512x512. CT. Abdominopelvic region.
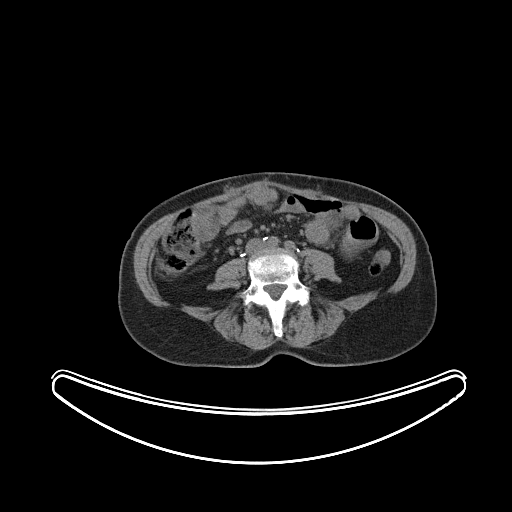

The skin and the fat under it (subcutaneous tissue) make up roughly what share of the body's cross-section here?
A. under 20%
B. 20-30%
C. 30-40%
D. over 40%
C. 30-40%
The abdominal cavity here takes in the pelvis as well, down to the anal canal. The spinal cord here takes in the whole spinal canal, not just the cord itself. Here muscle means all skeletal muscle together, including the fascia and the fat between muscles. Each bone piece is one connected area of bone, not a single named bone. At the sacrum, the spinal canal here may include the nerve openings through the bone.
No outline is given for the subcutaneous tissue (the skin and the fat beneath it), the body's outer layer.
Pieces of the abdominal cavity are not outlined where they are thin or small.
{"muscle":[{"outer":[[264,178],[266,178],[271,181],[293,186],[297,188],[311,188],[312,189],[317,189],[325,194],[334,196],[338,198],[341,198],[342,199],[346,199],[347,200],[371,204],[380,208],[382,208],[387,211],[389,211],[396,215],[407,225],[410,229],[415,240],[415,244],[416,245],[416,264],[415,265],[414,273],[411,278],[411,280],[404,288],[400,290],[397,293],[389,294],[384,296],[380,296],[352,313],[351,315],[350,315],[349,317],[341,324],[335,333],[331,336],[329,340],[322,345],[316,346],[315,347],[293,347],[282,341],[277,341],[269,347],[260,350],[253,350],[247,347],[241,347],[225,340],[219,333],[215,331],[212,327],[210,327],[205,322],[195,317],[193,317],[185,312],[176,310],[175,309],[172,309],[171,308],[161,308],[150,303],[145,298],[136,282],[136,279],[134,275],[134,269],[133,268],[133,255],[134,254],[135,246],[138,239],[145,229],[153,222],[166,214],[174,212],[181,208],[183,208],[185,206],[190,205],[195,202],[216,195],[226,193],[244,184],[257,180],[261,180]],"hole":[[256,186],[371,216],[398,248],[397,276],[384,289],[338,297],[315,282],[342,281],[334,258],[305,248],[309,301],[287,304],[279,338],[267,309],[243,302],[244,258],[220,265],[206,286],[234,289],[229,297],[213,305],[164,299],[151,262],[178,214]]}],"abdominal_cavity":[[[256,186],[338,200],[371,216],[398,248],[397,276],[384,289],[338,297],[315,282],[342,281],[329,253],[303,250],[303,282],[297,257],[272,247],[250,257],[246,266],[241,257],[220,265],[206,288],[235,291],[213,305],[164,299],[151,262],[178,214]]],"spinal_cord":[[[269,285],[284,285],[285,286],[284,287],[284,289],[282,291],[282,292],[281,293],[281,294],[279,296],[279,297],[277,299],[273,299],[271,297],[271,296],[269,294],[269,293],[265,289],[265,287],[266,286],[268,286]]],"bones":[{"outer":[[272,248],[285,249],[296,257],[299,262],[298,277],[309,289],[309,301],[307,304],[303,306],[296,302],[287,304],[282,319],[283,335],[279,338],[273,332],[267,309],[253,303],[248,307],[243,302],[242,294],[250,283],[247,269],[248,261],[263,250]],"hole":[[269,285],[284,285],[285,286],[284,287],[284,289],[282,291],[282,292],[281,293],[281,294],[279,296],[279,297],[277,299],[273,299],[271,297],[271,296],[269,294],[269,293],[265,289],[265,287],[266,286],[268,286]]}],"torso":[[[256,171],[291,171],[355,181],[388,196],[414,218],[428,242],[437,286],[436,319],[421,343],[395,358],[364,365],[316,366],[282,354],[258,367],[222,368],[173,364],[152,355],[134,342],[120,319],[117,290],[122,250],[136,223],[154,205],[184,189]]]}